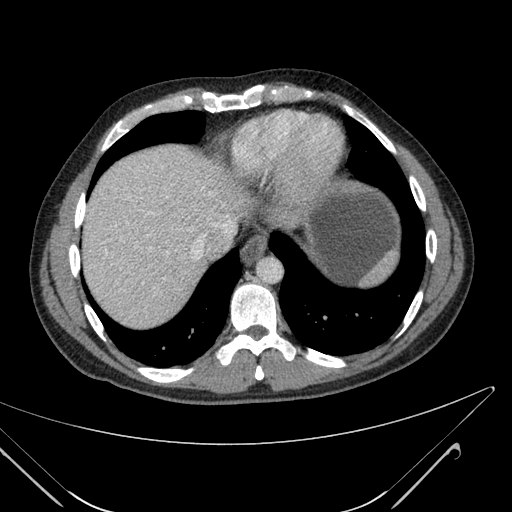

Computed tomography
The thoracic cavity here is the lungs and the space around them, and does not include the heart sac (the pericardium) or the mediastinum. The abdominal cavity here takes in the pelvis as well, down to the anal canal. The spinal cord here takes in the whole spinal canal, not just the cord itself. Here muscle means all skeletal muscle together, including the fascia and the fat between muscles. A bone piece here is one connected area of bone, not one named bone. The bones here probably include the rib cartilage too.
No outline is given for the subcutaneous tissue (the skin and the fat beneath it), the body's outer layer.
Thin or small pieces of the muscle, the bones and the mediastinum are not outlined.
{"bones":[{"outer":[[328,367],[346,366],[342,357],[309,347],[303,349],[278,332],[277,300],[267,288],[244,283],[233,291],[228,323],[234,334],[214,352],[221,364],[230,363],[241,348],[247,348],[258,356],[264,349],[273,347],[286,360],[290,361],[300,353],[308,360]],"hole":[[254,339],[259,339],[263,335],[264,335],[266,333],[266,330],[265,329],[265,328],[264,328],[262,326],[261,326],[260,325],[254,325],[253,326],[251,326],[249,328],[248,328],[246,330],[246,331],[245,332],[247,334],[248,334],[249,335],[250,335]]},[[209,112],[219,112],[232,109],[245,109],[257,106],[265,101],[279,103],[285,101],[311,99],[317,94],[315,91],[303,87],[289,85],[269,86],[264,83],[256,84],[247,88],[241,93],[217,94],[209,90],[203,90],[197,96],[197,99],[202,108]],[[101,153],[103,153],[119,138],[147,116],[159,112],[175,111],[176,110],[185,109],[194,104],[195,98],[188,94],[176,95],[170,98],[162,99],[157,102],[147,103],[140,108],[132,111],[129,114],[119,119],[113,126],[107,135],[100,149],[100,152]],[[158,382],[170,382],[171,381],[175,381],[176,380],[178,380],[180,378],[191,373],[194,370],[194,367],[193,366],[189,366],[185,368],[183,367],[157,368],[156,367],[146,366],[145,365],[137,366],[135,367],[135,369],[139,373],[152,380],[154,380]],[[394,156],[397,155],[397,151],[393,145],[392,142],[381,130],[380,130],[366,116],[365,116],[358,110],[350,106],[345,102],[343,102],[340,104],[340,108],[342,111],[360,122],[370,131],[371,131],[372,133],[373,133],[374,135],[382,143],[382,144]],[[395,339],[399,337],[404,332],[404,331],[410,324],[414,318],[415,315],[417,313],[418,309],[421,304],[422,298],[423,297],[423,290],[422,288],[419,288],[415,294],[409,306],[409,308],[407,310],[402,320],[402,322],[400,326],[394,335],[394,338]],[[105,342],[108,340],[108,338],[107,337],[107,335],[104,331],[103,325],[101,323],[100,320],[96,315],[95,312],[91,306],[87,301],[85,301],[83,303],[83,306],[84,307],[84,311],[86,314],[86,316],[95,332],[98,335],[98,336]],[[422,213],[424,213],[426,210],[426,208],[425,207],[425,198],[424,197],[424,194],[416,178],[412,174],[410,174],[408,176],[408,182],[409,183],[409,185],[410,186],[410,188],[411,189],[411,191],[412,192],[413,197],[415,200],[415,202],[418,208]],[[431,263],[432,263],[434,261],[434,259],[435,258],[435,254],[436,253],[436,243],[437,242],[437,240],[436,239],[436,235],[435,234],[435,232],[434,230],[431,227],[430,227],[426,230],[426,235],[425,236],[425,254],[426,255],[426,259],[429,262]],[[75,278],[77,278],[79,277],[79,273],[80,272],[80,262],[79,261],[79,249],[78,248],[78,246],[75,243],[71,243],[68,249],[68,255],[69,256],[69,263],[70,264],[70,268],[71,269],[71,272],[73,276]],[[76,229],[79,229],[79,228],[81,225],[82,220],[83,219],[83,216],[85,213],[85,192],[84,191],[82,191],[81,192],[81,193],[79,196],[78,201],[76,204],[76,207],[75,208],[75,215],[74,216],[74,225],[75,226],[75,228]]],"thoracic_cavity":[[[339,356],[371,349],[395,331],[419,287],[425,261],[423,221],[406,178],[373,134],[344,113],[352,143],[348,170],[383,191],[400,216],[397,269],[376,288],[341,288],[324,278],[287,236],[274,232],[269,239],[285,268],[278,302],[292,334],[304,346]],[[157,367],[183,366],[202,355],[214,344],[227,321],[229,299],[240,275],[237,247],[230,250],[208,269],[189,301],[173,319],[162,326],[146,331],[124,328],[106,315],[89,293],[80,273],[87,299],[104,325],[106,333],[116,346],[128,356],[143,364]],[[86,200],[88,199],[90,192],[99,176],[114,161],[124,155],[126,155],[132,151],[135,151],[137,149],[158,143],[197,142],[204,131],[205,116],[203,112],[200,110],[193,109],[192,110],[159,113],[147,117],[137,124],[103,154],[92,175],[86,193]]],"torso":[[[188,405],[313,399],[377,381],[432,349],[451,327],[466,299],[474,271],[474,242],[457,191],[412,133],[365,92],[337,75],[309,68],[277,67],[232,76],[180,77],[136,88],[99,115],[41,201],[28,275],[35,311],[52,343],[70,364],[91,378]]],"pericardium":[[[290,211],[310,211],[314,209],[325,200],[339,178],[349,153],[349,141],[343,126],[337,119],[325,111],[311,107],[284,106],[269,108],[245,115],[210,140],[206,147],[206,152],[208,155],[219,161],[229,171],[232,179],[237,185],[246,193],[273,208]]],"abdominal_cavity":[[[135,330],[173,318],[207,269],[257,224],[291,238],[332,283],[376,287],[399,263],[401,226],[395,207],[379,189],[341,178],[310,212],[273,209],[246,194],[197,143],[164,143],[132,152],[96,182],[86,201],[79,248],[81,271],[98,305],[116,322]]],"mediastinum":[[[277,299],[280,284],[284,275],[284,268],[281,261],[269,249],[268,239],[272,232],[278,231],[266,225],[257,225],[248,230],[240,241],[240,243],[238,244],[239,258],[241,263],[241,275],[234,289],[238,285],[244,282],[259,283],[267,287],[275,295]],[[205,147],[211,138],[233,124],[240,117],[260,109],[284,105],[316,107],[330,113],[337,118],[344,127],[343,112],[333,106],[310,101],[287,104],[265,104],[245,110],[232,110],[219,113],[209,113],[202,110],[206,116],[206,125],[205,131],[198,143]],[[353,179],[355,179],[355,178],[354,178],[351,175],[351,174],[350,174],[349,173],[349,172],[347,170],[347,168],[345,165],[345,166],[344,167],[344,169],[343,170],[343,171],[340,176],[340,178],[341,177],[348,177],[349,178],[352,178]]],"muscle":[[[216,393],[240,392],[256,383],[253,374],[258,363],[265,375],[260,381],[274,391],[298,389],[378,366],[417,337],[455,292],[463,274],[465,252],[454,218],[426,170],[408,149],[386,133],[398,151],[394,157],[405,176],[407,179],[412,173],[423,189],[427,210],[422,217],[425,229],[431,226],[436,232],[437,253],[432,264],[425,262],[420,284],[424,290],[423,301],[405,332],[395,340],[394,333],[366,352],[344,356],[347,362],[344,368],[320,366],[300,354],[289,362],[273,348],[264,350],[258,357],[247,349],[241,349],[230,364],[223,366],[213,352],[233,334],[227,322],[215,344],[184,366],[195,367],[191,374],[170,383],[158,383],[142,376],[134,369],[141,363],[120,351],[109,338],[103,342],[90,326],[82,306],[87,300],[80,277],[75,279],[70,272],[67,249],[71,242],[78,245],[79,230],[73,225],[75,204],[80,192],[86,192],[102,155],[99,149],[106,135],[119,118],[146,103],[122,114],[105,131],[90,159],[69,185],[40,259],[39,283],[48,311],[87,350],[130,377],[158,386]],[[365,115],[366,115],[365,113],[360,108],[356,106],[349,99],[344,97],[340,94],[338,94],[335,92],[333,92],[329,90],[312,89],[308,87],[305,87],[304,86],[296,85],[293,83],[291,83],[290,82],[286,82],[285,81],[271,81],[270,82],[266,82],[265,83],[269,85],[282,85],[283,84],[289,84],[290,85],[296,85],[297,86],[298,86],[299,86],[303,86],[304,87],[307,87],[308,88],[310,88],[311,89],[315,90],[317,92],[318,95],[311,100],[302,100],[310,100],[311,101],[321,101],[324,103],[327,103],[330,105],[333,105],[335,107],[337,107],[340,110],[341,110],[339,108],[339,104],[341,102],[345,101],[350,105],[353,106],[355,108],[361,111]],[[201,110],[202,109],[199,105],[199,103],[196,99],[196,96],[203,89],[206,89],[202,87],[191,87],[190,88],[187,88],[186,89],[182,89],[176,92],[170,93],[167,95],[163,95],[158,98],[156,98],[153,100],[151,100],[147,102],[157,101],[162,98],[170,97],[176,94],[181,94],[182,93],[188,93],[189,94],[191,94],[196,98],[196,102],[193,106],[186,109],[192,109],[194,108],[195,109],[200,109]],[[303,348],[304,347],[295,340],[291,334],[291,331],[287,324],[281,317],[280,311],[279,310],[279,306],[277,301],[278,309],[279,310],[279,332],[282,335],[284,335],[286,337],[288,337],[291,339],[295,343],[297,343],[301,345]]],"spinal_cord":[[[254,339],[259,339],[263,335],[264,335],[266,333],[266,330],[265,329],[265,328],[264,328],[262,326],[261,326],[260,325],[254,325],[253,326],[251,326],[249,328],[248,328],[246,330],[246,331],[245,332],[247,334],[248,334],[249,335],[250,335]]]}